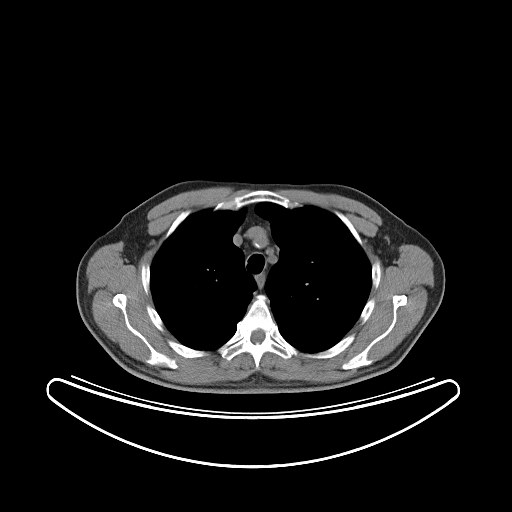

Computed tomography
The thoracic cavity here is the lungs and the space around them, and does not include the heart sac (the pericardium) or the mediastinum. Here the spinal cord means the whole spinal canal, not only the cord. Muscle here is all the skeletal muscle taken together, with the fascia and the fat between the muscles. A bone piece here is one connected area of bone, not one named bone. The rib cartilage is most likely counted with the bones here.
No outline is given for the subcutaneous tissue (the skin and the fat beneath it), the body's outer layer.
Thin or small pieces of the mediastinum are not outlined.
{"spinal_cord":[[[258,329],[260,329],[263,331],[263,332],[264,333],[264,338],[262,340],[262,341],[261,341],[260,342],[255,342],[254,343],[251,341],[251,335],[252,334],[252,333],[253,332],[253,331],[254,331],[255,330],[257,330]]],"torso":[[[193,179],[252,183],[337,183],[366,193],[424,235],[440,255],[445,270],[445,289],[436,313],[394,368],[369,379],[333,389],[293,393],[201,393],[164,387],[131,374],[112,359],[81,319],[76,301],[78,264],[92,242],[112,228],[125,213],[160,190]]],"muscle":[{"outer":[[213,186],[252,190],[209,208],[182,210],[151,262],[140,265],[143,290],[153,302],[145,305],[146,313],[159,331],[165,327],[175,338],[166,342],[178,355],[200,358],[215,350],[230,361],[248,353],[257,371],[267,352],[283,359],[328,359],[354,341],[355,333],[347,334],[355,323],[370,317],[376,300],[369,295],[379,286],[381,263],[370,262],[352,222],[339,210],[291,201],[276,189],[335,193],[371,208],[382,224],[368,242],[385,267],[395,259],[398,245],[425,250],[433,261],[434,283],[423,315],[377,365],[337,381],[278,380],[255,372],[240,380],[188,384],[141,369],[93,319],[88,261],[100,247],[122,241],[125,257],[136,265],[151,239],[148,211],[178,193]],"holes":[[[117,293],[123,293],[126,296],[125,308],[129,323],[147,340],[155,350],[174,359],[178,366],[177,368],[170,368],[164,365],[150,364],[145,362],[145,360],[150,355],[150,350],[138,336],[128,329],[125,323],[122,310],[114,305],[112,299],[114,295]],[[396,294],[404,294],[407,297],[406,303],[404,305],[399,306],[396,309],[396,320],[392,329],[369,349],[367,357],[369,359],[372,359],[373,362],[356,368],[341,368],[342,364],[361,352],[376,337],[384,332],[390,325],[393,319],[392,297]]]}],"bones":[{"outer":[[259,294],[268,298],[270,312],[282,337],[301,352],[323,351],[352,333],[354,339],[344,350],[328,358],[300,355],[283,358],[267,351],[261,356],[257,370],[254,359],[248,352],[241,352],[227,360],[216,350],[234,334],[237,323],[245,315],[252,299]],"hole":[[258,329],[260,329],[263,331],[263,332],[264,333],[264,338],[262,340],[262,341],[261,341],[260,342],[255,342],[254,343],[251,341],[251,335],[252,334],[252,333],[253,332],[253,331],[254,331],[255,330],[257,330]]},[[259,189],[274,191],[276,193],[286,197],[291,202],[297,202],[301,204],[302,205],[301,206],[293,208],[287,208],[273,202],[262,201],[250,203],[236,210],[233,209],[214,210],[213,209],[213,207],[219,202],[228,201],[236,196],[239,196],[253,190]],[[117,293],[123,293],[126,296],[125,308],[129,323],[147,340],[155,350],[174,359],[178,366],[177,368],[170,368],[164,365],[150,364],[145,362],[145,360],[150,355],[150,350],[138,336],[128,329],[125,323],[122,310],[114,305],[112,299],[114,295]],[[396,294],[404,294],[407,297],[406,303],[404,305],[399,306],[396,309],[396,320],[392,329],[369,349],[367,357],[369,359],[372,359],[373,362],[356,368],[341,368],[342,364],[361,352],[376,337],[384,332],[390,325],[393,319],[392,297]],[[168,340],[173,340],[174,341],[177,341],[179,343],[189,348],[192,348],[193,349],[196,349],[197,350],[205,350],[206,351],[208,351],[209,353],[207,355],[205,355],[204,356],[201,356],[200,357],[184,357],[178,354],[171,348],[171,347],[167,342]],[[147,304],[149,304],[150,305],[151,305],[153,307],[154,307],[154,308],[156,310],[157,313],[159,315],[160,318],[163,322],[163,324],[164,325],[164,331],[161,331],[160,330],[159,330],[151,321],[151,320],[147,313],[147,311],[146,310],[146,305]],[[336,210],[337,211],[339,211],[341,212],[351,222],[354,228],[356,230],[356,231],[358,233],[358,234],[361,238],[361,240],[362,241],[362,247],[358,243],[358,242],[353,236],[353,235],[350,232],[350,231],[348,229],[346,225],[334,213],[334,211]],[[143,263],[149,263],[150,264],[150,268],[149,269],[149,289],[150,290],[150,291],[149,292],[149,293],[148,294],[147,294],[145,292],[145,291],[144,290],[144,288],[143,287],[143,285],[142,284],[142,280],[141,279],[141,265]],[[370,298],[373,298],[375,300],[375,303],[374,304],[374,307],[373,308],[369,317],[366,320],[366,321],[364,323],[361,324],[360,323],[360,321],[358,319],[360,316],[360,314],[361,313],[365,304],[367,302],[368,299],[369,299]],[[185,210],[190,210],[191,211],[191,213],[189,215],[188,215],[177,226],[177,227],[170,234],[170,235],[168,237],[167,237],[165,239],[164,239],[164,236],[165,235],[166,232],[169,229],[169,228],[172,224],[173,221],[182,211],[184,211]],[[377,260],[378,260],[380,263],[380,270],[381,271],[381,274],[380,275],[380,279],[379,280],[379,283],[378,284],[378,286],[377,287],[377,288],[373,288],[372,287],[372,269],[371,268],[371,264],[373,262],[374,262]]],"mediastinum":[[[254,203],[256,203],[256,213],[269,221],[271,236],[278,246],[279,256],[267,275],[264,284],[265,294],[259,293],[253,297],[253,293],[257,288],[257,284],[254,278],[246,271],[244,267],[244,254],[242,250],[234,244],[233,236],[245,217],[245,206]]],"thoracic_cavity":[[[262,202],[273,203],[287,209],[311,205],[333,213],[363,249],[370,263],[371,287],[368,298],[357,320],[346,335],[328,348],[315,352],[301,351],[283,337],[273,317],[265,284],[270,270],[279,259],[280,249],[272,236],[270,221],[256,211],[257,203]],[[243,207],[244,217],[232,236],[232,242],[241,250],[243,267],[253,278],[256,288],[244,315],[236,323],[233,334],[226,341],[213,350],[189,347],[176,339],[165,326],[154,306],[150,289],[152,260],[164,240],[192,213],[210,208],[214,211],[236,211]]]}